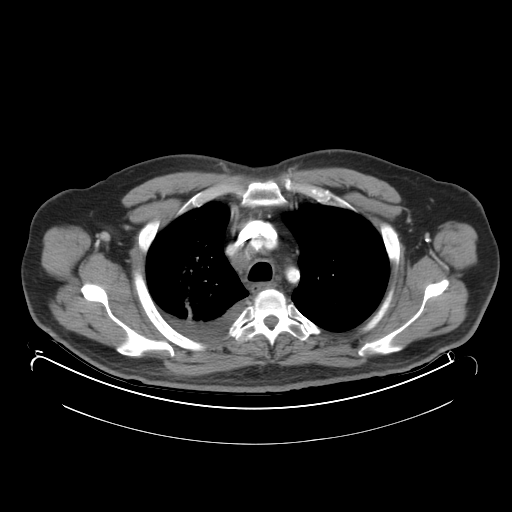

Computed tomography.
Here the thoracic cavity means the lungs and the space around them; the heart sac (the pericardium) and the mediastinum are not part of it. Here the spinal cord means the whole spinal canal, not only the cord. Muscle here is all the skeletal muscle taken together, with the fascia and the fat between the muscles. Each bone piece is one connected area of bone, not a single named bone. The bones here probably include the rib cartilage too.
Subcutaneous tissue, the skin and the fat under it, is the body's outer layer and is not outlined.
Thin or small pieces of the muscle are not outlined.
{"torso":[[[324,148],[375,155],[455,183],[479,200],[498,245],[500,267],[479,325],[463,344],[401,374],[283,393],[212,393],[152,387],[102,373],[54,342],[33,321],[21,284],[21,260],[34,213],[56,193],[88,187],[124,167],[167,154],[198,153],[258,166]]],"spinal_cord":[[[271,315],[272,316],[275,316],[277,318],[277,322],[276,323],[276,324],[272,328],[270,328],[268,326],[267,326],[265,324],[265,323],[264,322],[264,319],[267,316],[270,316]]],"muscle":[[[331,166],[386,181],[426,224],[455,220],[474,228],[477,262],[468,277],[469,309],[453,330],[404,348],[393,343],[420,316],[428,299],[448,287],[444,277],[425,286],[418,309],[404,323],[357,350],[361,357],[381,355],[361,365],[268,364],[178,376],[154,358],[135,357],[161,350],[173,357],[171,344],[203,351],[204,341],[226,332],[239,343],[260,334],[272,347],[283,332],[305,341],[322,329],[349,331],[369,317],[362,332],[378,324],[394,295],[392,286],[384,295],[390,264],[400,262],[398,232],[386,221],[379,222],[378,230],[328,188],[287,176],[281,180],[285,191],[313,201],[290,202],[272,178],[252,180],[245,187],[221,182],[192,195],[163,228],[159,230],[158,218],[140,228],[137,244],[145,255],[145,279],[136,269],[133,285],[143,311],[164,339],[149,338],[118,318],[105,289],[89,281],[80,287],[83,297],[101,303],[126,334],[114,349],[66,329],[50,312],[52,287],[41,265],[42,240],[50,227],[105,226],[121,214],[121,199],[128,191],[164,174],[231,171],[265,177],[292,167]]],"thoracic_cavity":[[[305,200],[361,214],[379,232],[382,239],[389,262],[389,277],[385,292],[379,305],[371,315],[349,330],[331,331],[324,329],[305,316],[290,301],[292,293],[300,281],[300,269],[298,265],[300,247],[296,238],[284,222],[282,215]],[[216,199],[225,201],[229,207],[230,213],[224,232],[223,251],[228,262],[248,292],[248,305],[233,321],[227,331],[212,339],[199,341],[192,339],[174,329],[164,319],[158,310],[146,282],[146,255],[157,233],[167,226],[172,220],[192,209],[199,208]]],"mediastinum":[[[224,199],[240,200],[238,204],[241,207],[281,207],[290,203],[296,204],[295,207],[286,210],[281,215],[299,247],[297,258],[299,281],[289,300],[280,290],[268,287],[260,290],[249,304],[249,292],[224,251],[225,232],[231,213],[230,207]]],"bones":[{"outer":[[268,288],[283,293],[287,300],[292,302],[305,317],[321,328],[321,332],[319,334],[310,334],[305,340],[300,340],[287,331],[283,331],[276,337],[272,346],[265,336],[260,333],[243,342],[228,336],[228,329],[243,310],[253,303],[254,297],[260,291]],"hole":[[271,315],[272,316],[275,316],[277,318],[277,322],[276,323],[276,324],[272,328],[270,328],[268,326],[267,326],[265,324],[265,323],[264,322],[264,319],[267,316],[270,316]]},[[136,270],[163,319],[180,334],[205,344],[205,349],[194,351],[171,343],[173,356],[166,349],[148,350],[140,356],[115,349],[126,340],[126,332],[101,302],[87,300],[81,287],[87,282],[99,285],[118,319],[149,339],[164,340],[139,301],[133,279]],[[268,179],[274,180],[281,187],[282,194],[289,202],[286,205],[241,206],[239,204],[241,200],[240,196],[234,193],[227,193],[210,200],[199,207],[192,208],[174,218],[185,202],[198,192],[211,186],[225,183],[236,184],[245,188],[252,181],[264,181]],[[444,278],[449,281],[447,287],[440,294],[428,298],[419,316],[392,339],[393,344],[403,346],[401,350],[386,354],[376,353],[366,354],[362,356],[358,354],[358,350],[365,343],[383,337],[400,327],[411,318],[421,305],[426,286],[430,283],[437,282]],[[286,177],[296,182],[306,182],[315,186],[318,186],[322,188],[328,189],[353,206],[357,210],[357,212],[355,212],[347,208],[342,208],[341,207],[322,204],[321,203],[316,202],[310,197],[308,197],[301,193],[285,190],[283,188],[282,180]],[[380,222],[386,222],[390,224],[397,232],[397,236],[398,237],[398,240],[399,241],[399,262],[397,265],[395,265],[393,263],[390,263],[389,261],[388,255],[387,254],[387,252],[385,248],[385,245],[383,242],[383,239],[379,231],[380,229]],[[156,219],[158,219],[160,222],[159,223],[159,227],[158,228],[158,231],[156,233],[146,254],[144,254],[140,249],[139,245],[138,244],[138,235],[139,234],[139,232],[141,228],[144,225],[145,225],[148,222],[152,221],[153,220],[155,220]],[[392,287],[393,288],[393,295],[392,296],[392,299],[384,315],[374,327],[373,327],[368,331],[365,331],[364,332],[362,331],[361,330],[361,328],[362,326],[363,326],[376,312],[379,306],[381,304],[383,299],[385,297],[387,292]]]}